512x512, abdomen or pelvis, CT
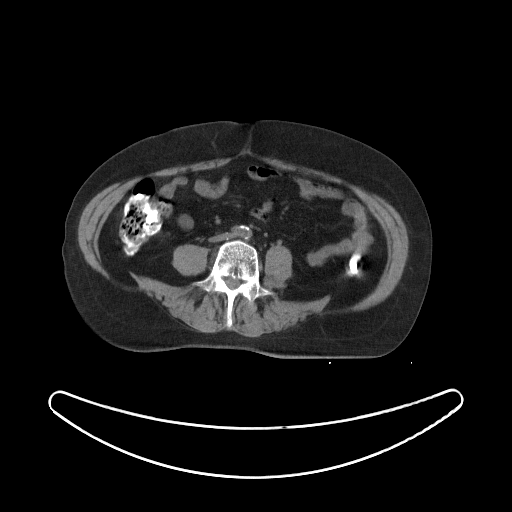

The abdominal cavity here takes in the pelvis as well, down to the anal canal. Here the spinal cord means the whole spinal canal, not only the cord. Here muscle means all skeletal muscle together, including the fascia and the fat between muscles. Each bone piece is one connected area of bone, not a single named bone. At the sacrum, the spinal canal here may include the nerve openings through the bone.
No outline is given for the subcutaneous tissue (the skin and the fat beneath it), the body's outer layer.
{"muscle":[{"outer":[[242,151],[249,151],[260,156],[276,158],[288,163],[292,163],[296,165],[300,165],[301,166],[304,166],[305,167],[308,167],[325,172],[333,176],[343,179],[349,183],[358,186],[370,193],[376,194],[388,202],[398,212],[402,218],[406,226],[406,229],[408,233],[408,240],[409,241],[409,245],[408,246],[408,257],[406,261],[406,264],[402,276],[398,284],[390,295],[382,302],[366,310],[358,311],[357,312],[351,312],[346,314],[331,314],[330,313],[326,313],[322,315],[320,314],[315,314],[311,318],[287,330],[275,334],[264,335],[258,337],[248,337],[247,336],[241,335],[231,330],[223,330],[213,333],[206,333],[205,332],[193,331],[181,324],[164,311],[142,291],[127,292],[121,290],[112,285],[99,273],[94,270],[84,259],[83,254],[79,247],[78,240],[77,239],[77,229],[78,228],[79,219],[83,209],[87,203],[97,193],[111,184],[113,184],[116,182],[123,182],[136,176],[143,175],[164,168],[169,168],[179,165],[186,165],[187,164],[191,164],[200,161],[211,160],[216,158],[233,157]],"hole":[[244,156],[343,185],[365,204],[387,245],[367,295],[345,305],[282,298],[293,269],[280,243],[258,262],[273,295],[239,294],[230,328],[226,295],[196,284],[212,268],[209,247],[173,249],[172,266],[196,279],[184,284],[112,276],[100,233],[136,182]]}],"abdominal_cavity":[[[244,156],[343,185],[365,204],[387,245],[367,295],[345,305],[330,305],[329,294],[284,299],[290,250],[272,244],[261,263],[241,239],[223,242],[210,259],[209,247],[177,245],[172,266],[196,279],[184,284],[112,276],[100,233],[136,182]]],"spinal_cord":[[[224,277],[231,277],[233,279],[235,279],[236,280],[238,280],[240,282],[239,283],[239,284],[235,288],[230,288],[226,284],[226,283],[225,282],[225,281],[224,280]]],"bones":[{"outer":[[232,240],[241,240],[255,248],[259,263],[259,283],[262,287],[274,293],[273,295],[259,296],[251,303],[239,294],[233,302],[232,325],[229,328],[226,326],[226,295],[222,292],[207,292],[197,285],[196,282],[203,281],[209,275],[219,247],[223,243]],"hole":[[224,277],[231,277],[233,279],[235,279],[236,280],[238,280],[240,282],[239,283],[239,284],[235,288],[230,288],[226,284],[226,283],[225,282],[225,281],[224,280]]}],"torso":[[[266,118],[322,126],[358,139],[393,159],[416,186],[430,219],[432,265],[422,306],[405,339],[391,352],[376,358],[282,359],[228,348],[184,347],[134,352],[98,337],[71,300],[61,257],[65,217],[84,180],[108,157],[146,136],[205,121],[244,122]]]}